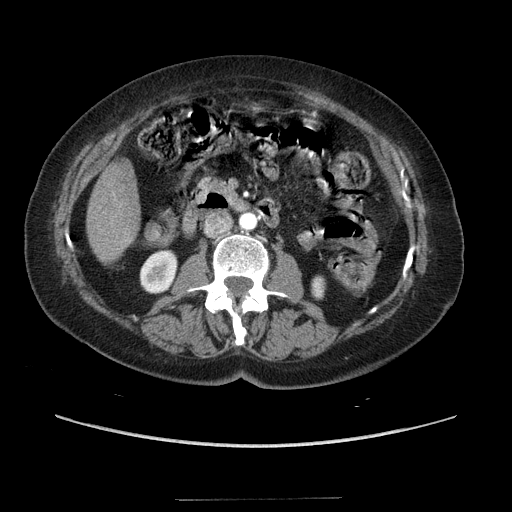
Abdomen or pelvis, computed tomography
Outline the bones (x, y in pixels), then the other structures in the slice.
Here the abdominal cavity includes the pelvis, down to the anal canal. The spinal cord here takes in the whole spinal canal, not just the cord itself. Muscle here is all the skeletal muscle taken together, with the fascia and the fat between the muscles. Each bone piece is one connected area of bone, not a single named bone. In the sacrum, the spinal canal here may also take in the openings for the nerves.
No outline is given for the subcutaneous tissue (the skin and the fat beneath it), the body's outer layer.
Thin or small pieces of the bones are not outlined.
bones 1: 230 234; 248 234; 265 245; 270 265; 262 284; 267 289; 289 296; 269 295; 266 310; 250 310; 241 316; 247 334; 240 346; 234 344; 229 313; 225 309; 215 313; 209 311; 204 304; 204 290; 186 291; 213 279; 212 252; 218 240; inner edge: 230 276; 237 276; 238 277; 239 276; 242 276; 243 277; 248 278; 252 281; 252 285; 251 287; 248 289; 246 293; 245 293; 241 297; 239 298; 236 298; 229 291; 229 289; 228 287; 225 284; 224 282; 225 279; 227 277; 229 277
bones 2: 393 151; 395 151; 397 154; 400 163; 404 167; 404 174; 409 179; 409 184; 411 188; 410 189; 410 195; 411 196; 411 203; 412 204; 410 209; 408 209; 406 207; 405 202; 403 199; 403 188; 399 175; 400 164; 398 161; 395 160
bones 3: 411 243; 413 243; 413 249; 415 252; 415 257; 414 258; 414 260; 411 267; 407 271; 407 275; 406 277; 404 279; 403 279; 402 277; 402 269; 403 268; 403 265; 404 264; 404 261; 405 260; 405 257; 406 256; 407 250
abdominal cavity: 227 91; 295 97; 367 136; 409 237; 397 281; 381 303; 347 323; 330 323; 304 298; 295 258; 277 244; 270 253; 248 233; 218 239; 211 260; 200 244; 179 267; 170 293; 143 314; 118 309; 86 282; 70 235; 85 188; 158 108
muscle: 223 77; 259 77; 289 82; 300 85; 305 88; 315 90; 355 112; 372 124; 377 129; 388 135; 400 145; 406 146; 410 151; 415 164; 418 167; 422 176; 422 180; 425 189; 425 197; 428 202; 429 208; 425 221; 429 232; 428 234; 429 243; 432 247; 432 252; 429 257; 429 262; 425 273; 417 277; 414 285; 411 288; 405 300; 390 318; 388 318; 383 323; 370 330; 336 343; 322 353; 302 361; 288 363; 284 361; 272 362; 263 360; 257 357; 229 353; 224 353; 214 358; 205 358; 204 359; 197 357; 188 358; 172 355; 153 345; 152 346; 141 334; 136 334; 122 327; 115 321; 96 311; 91 306; 84 302; 79 296; 75 287; 68 279; 65 278; 62 273; 61 266; 56 260; 52 232; 49 229; 51 225; 50 221; 52 216; 52 207; 54 203; 56 188; 66 168; 73 160; 76 154; 90 139; 89 138; 90 135; 94 132; 102 130; 112 125; 116 126; 120 122; 131 116; 136 110; 145 107; 151 100; 168 91; 191 84; 194 82 with holes at 227 91; 295 97; 367 136; 415 252; 372 314; 327 321; 277 244; 262 284; 289 297; 269 295; 266 310; 243 314; 240 346; 229 313; 209 311; 204 290; 186 291; 213 279; 205 243; 143 314; 84 279; 64 232; 88 184; 158 108 and at 393 151; 395 151; 397 154; 400 163; 404 167; 404 174; 409 179; 409 184; 411 188; 410 189; 410 195; 411 196; 411 203; 412 204; 410 209; 408 209; 406 207; 405 202; 403 199; 403 188; 399 175; 400 164; 398 161; 395 160
spinal cord: 230 276; 237 276; 238 277; 239 276; 242 276; 243 277; 248 278; 252 281; 252 285; 251 287; 248 289; 246 293; 245 293; 241 297; 239 298; 236 298; 229 291; 229 289; 228 287; 225 284; 224 282; 225 279; 227 277; 229 277
torso: 248 52; 325 64; 377 88; 422 129; 450 181; 464 238; 457 295; 420 341; 361 376; 296 389; 267 389; 241 378; 215 386; 162 380; 120 365; 64 332; 30 287; 23 254; 26 208; 45 158; 66 129; 102 97; 147 72; 198 57